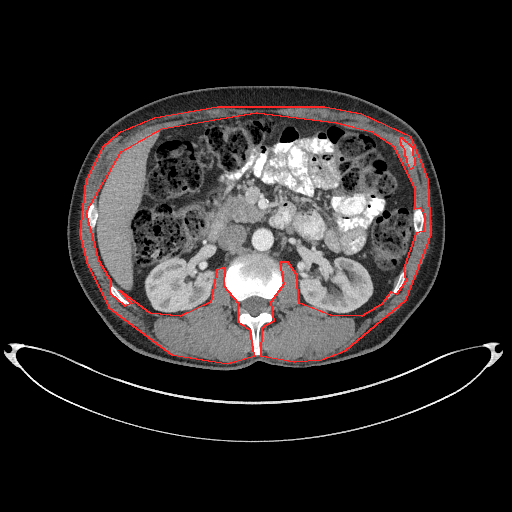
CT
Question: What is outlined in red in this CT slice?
Answer: red: muscle.
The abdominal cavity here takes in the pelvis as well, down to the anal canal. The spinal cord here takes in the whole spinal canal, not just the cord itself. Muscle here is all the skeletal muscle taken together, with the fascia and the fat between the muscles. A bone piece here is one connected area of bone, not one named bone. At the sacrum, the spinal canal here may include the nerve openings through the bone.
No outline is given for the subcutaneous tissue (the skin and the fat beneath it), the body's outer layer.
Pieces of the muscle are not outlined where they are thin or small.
Outlined structures:
muscle: 227,363 254,355 250,330 238,322 238,303 224,286 225,267 216,270 210,302 180,316 150,313 119,290 131,303 125,306 110,293 111,281 99,261 86,212 121,151 161,128 256,112 336,122 371,131 392,145 414,188 414,208 420,207 424,215 423,231 415,233 403,268 405,281 396,294 390,292 381,304 361,316 330,315 299,303 296,274 288,262 279,262 283,284 270,302 273,321 261,328 260,355 294,361 321,359 345,350 406,299 431,234 428,179 411,137 361,114 324,107 217,107 154,118 118,133 102,147 85,180 79,233 86,262 108,307 171,354; inner edge: 409,168 411,168 413,167 415,163 415,159 413,155 413,148 402,138 400,138 399,139 399,141 400,142 400,144 402,146 404,150 404,155 406,158 406,162
bones 1: 255,355 261,353 259,346 260,328 264,323 272,321 269,302 279,291 282,284 282,276 278,262 272,257 251,252 237,256 231,261 226,269 224,281 231,296 239,303 239,322 247,325 251,330 253,340 252,351 with a hole at 252,315 256,315 260,312 264,311 265,310 265,309 267,307 267,301 265,299 261,298 260,297 258,297 257,296 254,296 253,297 250,297 249,298 247,298 241,303 241,306 242,308 245,311 248,312
bones 2: 409,168 411,168 413,167 415,163 415,159 413,155 413,148 402,138 400,138 399,139 399,141 400,142 400,144 402,146 404,150 404,155 406,158 406,162
bones 3: 418,234 419,233 421,233 421,232 422,231 422,227 423,226 423,215 422,214 422,211 420,208 416,208 415,209 414,209 414,211 413,212 413,225 414,226 414,229 415,230 415,232
bones 4: 92,229 93,228 94,228 94,226 95,225 95,221 96,220 96,218 97,217 97,210 96,209 96,206 94,203 91,203 90,204 90,205 88,208 88,211 87,212 87,225 90,228 91,228
bones 5: 125,305 129,305 130,304 129,301 126,300 120,294 120,293 118,291 117,288 112,283 110,283 110,284 109,285 109,288 110,289 110,291 111,292 111,293 115,297 115,298 116,299 117,299 120,302 121,302
bones 6: 391,294 394,294 395,293 396,293 400,289 400,288 404,281 404,279 405,278 405,275 406,274 406,273 404,270 402,270 400,272 400,273 398,276 398,279 397,280 397,281 396,282 396,283 391,292
torso: 225,371 256,361 285,367 320,366 373,352 396,334 424,300 441,263 445,213 427,148 403,119 370,101 331,89 216,86 144,104 114,121 93,142 77,174 67,218 69,259 86,297 114,335 133,351 173,364
abdominal cavity: 349,316 361,315 383,301 413,244 413,188 398,154 381,137 336,123 273,113 195,120 134,141 104,178 96,202 98,255 112,282 143,309 180,315 207,304 215,270 226,268 237,255 255,251 292,265 301,304
spinal cord: 252,315 256,315 260,312 264,311 265,310 265,309 267,307 267,301 265,299 261,298 260,297 258,297 257,296 254,296 253,297 250,297 249,298 247,298 241,303 241,306 242,308 245,311 248,312